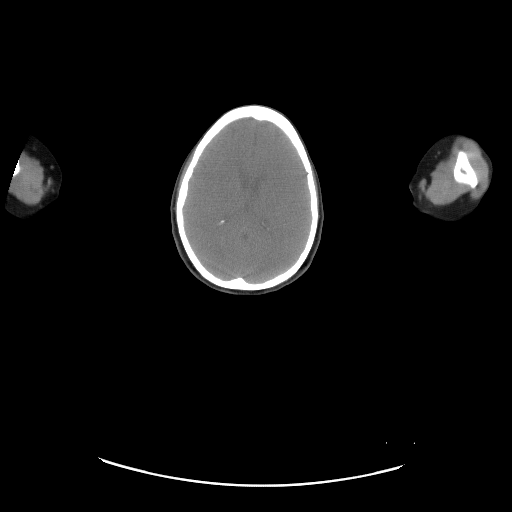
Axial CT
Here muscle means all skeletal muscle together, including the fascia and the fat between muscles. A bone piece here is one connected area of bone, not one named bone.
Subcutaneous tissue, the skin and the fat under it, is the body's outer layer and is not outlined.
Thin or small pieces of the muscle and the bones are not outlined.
The brain is outlined by 244 118; 269 122; 281 130; 287 137; 305 172; 305 181; 309 198; 310 221; 303 247; 295 260; 289 266; 261 281; 248 281; 242 276; 223 278; 210 271; 198 257; 185 228; 184 206; 188 195; 189 182; 200 157; 213 138; 226 126. The muscle appears in 3 outlined pieces: piece 1: 457 137; 463 137; 473 141; 480 149; 481 154; 487 162; 488 165; 488 181; 487 184; 480 196; 475 200; 466 199; 459 201; 449 206; 439 206; 438 207; 429 204; 426 204; 424 203; 418 196; 418 189; 417 188; 418 180; 440 149; inner edge: 459 150; 465 151; 467 153; 467 157; 468 158; 468 160; 471 166; 475 171; 476 175; 478 178; 478 183; 474 188; 471 188; 470 186; 467 184; 464 184; 463 183; 459 183; 457 182; 453 177; 453 168; 456 161; 457 153; piece 2: 24 146; 40 161; 40 162; 53 177; 53 188; 51 192; 48 195; 46 199; 44 199; 37 204; 35 204; 34 205; 23 204; 9 197; 7 195; 12 178; 15 177; 20 170; 20 161; 19 159; 20 158; 20 154; 22 152; 24 148; piece 3: 192 153; 191 155; 191 158; 180 180; 180 182; 179 183; 179 185; 177 189; 177 194; 175 198; 175 201; 175 197; 176 196; 176 190; 178 186; 178 183; 179 182; 179 179; 180 178; 181 173; 183 170; 183 168; 187 160. The bones appear in 2 outlined pieces: piece 1: 249 104; 259 104; 272 108; 283 114; 293 124; 304 144; 312 166; 318 201; 318 223; 315 237; 301 266; 285 281; 258 290; 226 288; 204 278; 194 267; 185 252; 175 217; 175 202; 178 189; 197 143; 206 130; 222 114; 232 108 with a hole at 244 118; 269 122; 281 130; 287 137; 305 172; 305 181; 309 198; 310 221; 303 247; 295 260; 289 266; 261 281; 248 281; 242 276; 223 278; 210 271; 198 257; 185 228; 184 206; 188 195; 189 182; 200 157; 213 138; 226 126; piece 2: 459 150; 465 151; 467 153; 467 157; 468 158; 468 160; 471 166; 475 171; 476 175; 478 178; 478 183; 474 188; 471 188; 470 186; 467 184; 464 184; 463 183; 459 183; 457 182; 453 177; 453 168; 456 161; 457 153. The head is outlined by 246 104; 259 104; 275 108; 285 114; 297 128; 319 176; 323 199; 324 220; 321 239; 313 260; 308 269; 297 280; 273 293; 259 296; 232 296; 206 287; 194 279; 186 269; 178 254; 171 233; 169 205; 178 170; 192 146; 224 112. The right arm is outlined by 31 134; 34 134; 37 136; 53 153; 62 171; 62 183; 58 197; 40 214; 37 219; 35 220; 24 220; 17 218; 8 213; 5 210; 5 204; 6 203; 6 198; 8 190; 13 177; 13 174; 20 158; 20 154; 22 152; 24 146. The left arm is outlined by 451 132; 462 132; 474 137; 479 141; 492 160; 493 164; 493 176; 487 192; 482 198; 476 209; 469 215; 455 222; 433 221; 420 213; 413 206; 411 201; 411 194; 408 187; 408 183; 409 179; 414 172; 419 160; 427 149; 440 137.